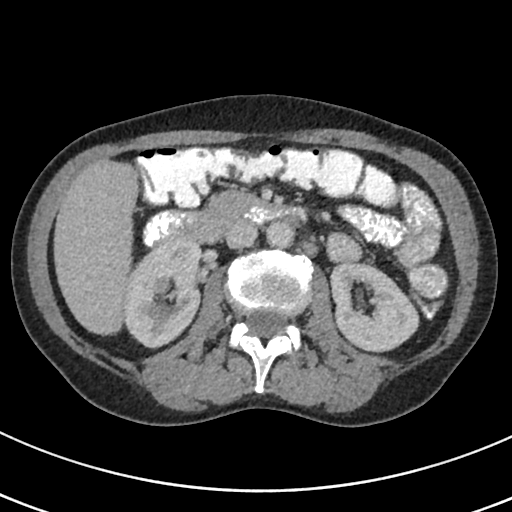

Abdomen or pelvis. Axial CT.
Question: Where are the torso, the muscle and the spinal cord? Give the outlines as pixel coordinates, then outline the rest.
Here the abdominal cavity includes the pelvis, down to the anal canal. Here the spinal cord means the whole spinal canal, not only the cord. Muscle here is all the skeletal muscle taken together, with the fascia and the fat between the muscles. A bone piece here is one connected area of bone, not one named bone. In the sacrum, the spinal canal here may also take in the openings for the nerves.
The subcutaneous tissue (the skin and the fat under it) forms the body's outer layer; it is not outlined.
Answer: Outlines:
torso: 255,93 317,99 417,130 453,152 479,189 497,245 493,309 480,337 437,393 404,415 341,427 253,408 188,425 142,424 105,412 82,398 39,351 21,322 10,277 12,233 32,183 62,148 97,127 155,110
muscle: 315,128 336,128 361,131 371,134 382,140 385,140 390,144 402,145 414,148 428,154 443,164 453,172 460,182 466,194 470,208 474,216 479,242 479,254 478,255 479,264 477,274 477,285 474,292 474,299 470,307 470,311 468,314 467,320 464,323 463,327 457,337 447,348 437,355 417,365 413,369 396,377 387,385 379,389 365,404 347,412 334,412 333,413 322,412 310,407 296,404 290,404 281,399 278,399 273,396 268,396 266,394 256,397 243,397 237,401 225,405 213,407 211,409 205,409 197,412 187,412 182,410 171,409 159,404 151,396 146,388 141,385 137,385 119,377 107,369 83,357 74,351 52,331 45,321 32,295 27,271 27,242 31,219 41,194 56,172 70,158 94,145 107,142 117,142 127,140 140,135 161,131 201,129 202,130 224,130 236,132 266,132 268,133 269,132 278,132 299,129 314,129, around a hole outlined by 250,137 373,151 421,176 457,269 432,343 401,360 354,348 313,262 310,300 293,317 301,347 273,360 263,393 250,355 228,345 238,320 230,262 205,279 187,333 151,355 126,359 71,329 48,244 82,168
spinal cord: 258,308 283,311 287,314 288,316 288,322 284,327 283,331 281,333 275,334 269,339 266,339 265,340 261,339 256,335 250,334 249,333 248,325 245,321 245,317 247,312 249,310 251,309 257,309
bones: 261,249 304,256 311,261 313,271 310,300 293,317 293,322 300,329 301,347 273,360 264,380 264,392 257,393 254,391 252,358 242,349 228,345 231,328 238,318 236,307 228,301 224,284 227,269 235,258; inner edge: 258,308 283,311 287,314 288,316 288,322 284,327 283,331 281,333 275,334 269,339 266,339 265,340 261,339 256,335 250,334 249,333 248,325 245,321 245,317 247,312 249,310 251,309 257,309
abdominal cavity: 250,137 373,151 421,176 444,214 457,269 449,317 432,343 401,360 359,351 336,329 324,271 304,255 267,248 238,255 213,270 187,333 151,355 126,359 71,329 50,280 48,244 58,208 82,168 129,150